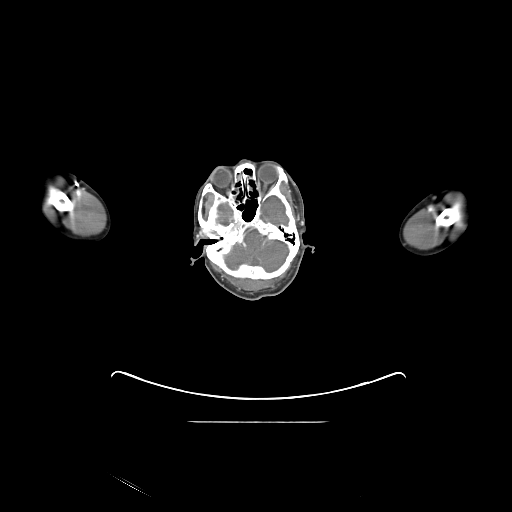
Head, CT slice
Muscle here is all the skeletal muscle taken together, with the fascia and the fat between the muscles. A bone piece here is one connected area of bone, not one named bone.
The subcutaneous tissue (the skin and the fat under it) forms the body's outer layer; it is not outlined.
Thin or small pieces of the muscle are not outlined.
{"brain":[[[248,229],[253,229],[261,236],[265,236],[268,240],[276,240],[286,246],[287,252],[278,266],[268,270],[260,264],[250,264],[246,262],[241,262],[236,267],[232,267],[227,263],[225,256],[232,250],[236,244],[241,244],[243,246],[246,245],[244,238]],[[270,197],[275,197],[277,198],[282,204],[283,206],[283,212],[287,219],[287,221],[285,223],[284,222],[281,222],[277,224],[271,221],[268,221],[267,220],[266,221],[262,218],[261,216],[262,214],[262,206],[264,202],[265,202]],[[221,205],[225,205],[231,211],[231,214],[229,216],[229,217],[228,218],[228,222],[227,223],[223,223],[222,222],[221,222],[220,221],[218,221],[218,219],[219,218],[219,217],[220,216],[220,212],[219,211],[219,207]]],"head":[{"outer":[[241,158],[274,160],[292,177],[304,204],[306,232],[303,240],[312,247],[305,249],[296,276],[282,292],[256,300],[242,299],[220,286],[201,257],[191,264],[191,257],[196,258],[203,245],[210,242],[201,239],[193,244],[196,192],[216,166],[233,165]],"hole":[[250,200],[254,200],[256,203],[256,205],[255,206],[255,208],[254,209],[254,211],[253,212],[253,214],[252,215],[252,216],[249,219],[246,219],[244,217],[244,210],[245,209],[245,208],[247,205],[247,202]]}],"left_arm":[[[448,186],[453,186],[454,187],[461,188],[471,194],[472,196],[476,208],[476,212],[473,216],[467,229],[453,244],[439,253],[429,256],[419,256],[408,252],[402,247],[398,239],[398,229],[400,223],[404,216],[415,204],[426,195],[439,188],[447,187]]],"right_arm":[[[53,169],[62,169],[74,173],[90,185],[103,198],[108,207],[111,217],[111,227],[110,230],[103,239],[96,242],[90,242],[89,243],[74,241],[67,238],[57,231],[43,216],[36,201],[36,186],[38,182],[39,176],[45,171],[47,170],[52,170]]],"muscle":[{"outer":[[54,176],[67,177],[74,181],[76,181],[88,192],[98,199],[101,203],[106,215],[106,224],[104,229],[101,232],[89,236],[80,236],[73,233],[69,229],[62,226],[60,224],[52,220],[49,217],[46,213],[43,206],[43,186],[49,177],[53,177]],"hole":[[56,190],[61,190],[62,191],[63,191],[72,200],[72,201],[73,202],[73,210],[72,210],[69,212],[68,211],[59,211],[57,209],[56,209],[50,203],[50,202],[49,201],[49,198],[50,197],[50,195],[51,194],[51,193],[53,191],[55,191]]},{"outer":[[445,192],[456,192],[457,193],[460,193],[463,197],[467,200],[469,206],[469,214],[468,215],[468,220],[464,228],[460,230],[454,237],[448,238],[439,245],[437,245],[430,249],[421,250],[407,244],[403,237],[403,229],[409,218],[418,211],[433,197]],"hole":[[450,206],[456,206],[458,208],[459,212],[460,213],[460,215],[461,216],[460,220],[457,222],[455,222],[453,224],[447,227],[445,227],[444,226],[440,226],[438,227],[436,225],[435,225],[435,217],[436,215],[438,214],[444,208],[446,207],[449,207]]},[[295,257],[295,260],[290,273],[282,283],[274,289],[268,289],[253,294],[248,294],[245,292],[236,290],[224,282],[215,272],[210,264],[210,262],[215,264],[226,274],[235,278],[251,279],[252,280],[268,280],[278,277],[283,274],[289,268],[292,261]],[[289,182],[296,196],[297,202],[298,203],[299,209],[300,210],[300,217],[301,218],[301,224],[298,228],[297,226],[297,222],[295,219],[294,210],[291,204],[289,202],[286,195],[282,191],[281,189],[281,185],[283,183],[287,185],[289,183]],[[208,193],[210,193],[212,195],[212,199],[211,200],[211,202],[210,203],[210,204],[208,206],[208,207],[207,208],[207,209],[206,210],[206,215],[205,216],[204,215],[204,203],[206,201],[205,200],[205,197],[206,196],[206,195]],[[197,204],[197,210],[196,211],[196,218],[197,219],[197,222],[199,226],[199,229],[201,231],[201,232],[206,237],[206,239],[204,239],[203,237],[198,237],[197,235],[198,234],[198,232],[197,231],[197,224],[196,223],[196,210],[197,209]]],"bones":[{"outer":[[247,161],[255,164],[257,178],[261,189],[264,192],[266,192],[277,180],[277,172],[274,165],[280,165],[283,168],[288,183],[286,184],[283,182],[280,185],[280,189],[293,210],[294,219],[299,232],[299,249],[288,268],[280,275],[268,279],[235,277],[226,273],[219,266],[210,261],[204,251],[204,244],[209,243],[210,241],[200,229],[197,218],[199,199],[204,184],[210,182],[216,191],[225,194],[232,182],[234,167]],"holes":[[[248,229],[253,229],[261,236],[265,236],[268,240],[276,240],[286,246],[287,252],[278,266],[268,270],[260,264],[250,264],[246,262],[241,262],[236,267],[232,267],[227,263],[225,256],[232,250],[236,244],[241,244],[243,246],[246,245],[244,238]],[[270,197],[275,197],[277,198],[282,204],[283,206],[283,212],[287,219],[287,221],[285,223],[284,222],[281,222],[277,224],[271,221],[268,221],[267,220],[266,221],[262,218],[261,216],[262,214],[262,206],[264,202],[265,202]],[[221,205],[225,205],[231,211],[231,214],[229,216],[229,217],[228,218],[228,222],[227,223],[223,223],[222,222],[221,222],[220,221],[218,221],[218,219],[219,218],[219,217],[220,216],[220,212],[219,211],[219,207]],[[250,200],[254,200],[256,203],[256,205],[255,206],[255,208],[254,209],[254,211],[253,212],[253,214],[252,215],[252,216],[249,219],[246,219],[244,217],[244,210],[245,209],[245,208],[247,205],[247,202]],[[208,193],[210,193],[212,195],[212,199],[211,200],[211,202],[210,203],[210,204],[208,206],[208,207],[207,208],[207,209],[206,210],[206,215],[205,216],[204,215],[204,203],[206,201],[205,200],[205,197],[206,196],[206,195]]]},[[450,206],[456,206],[458,208],[459,212],[460,213],[460,215],[461,216],[460,220],[457,222],[455,222],[453,224],[447,227],[445,227],[444,226],[440,226],[438,227],[436,225],[435,225],[435,217],[436,215],[438,214],[444,208],[446,207],[449,207]],[[56,190],[61,190],[62,191],[63,191],[72,200],[72,201],[73,202],[73,210],[72,210],[69,212],[68,211],[59,211],[57,209],[56,209],[50,203],[50,202],[49,201],[49,198],[50,197],[50,195],[51,194],[51,193],[53,191],[55,191]]]}